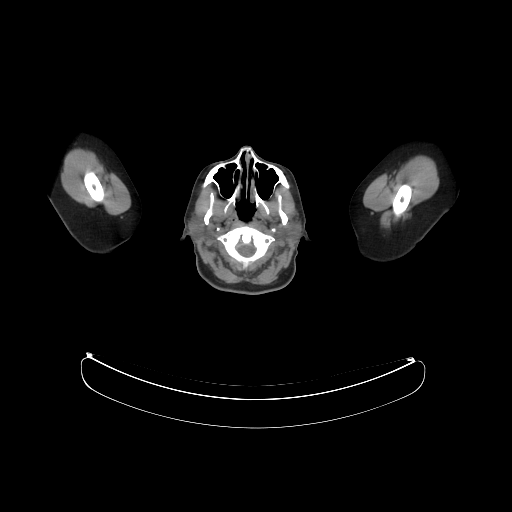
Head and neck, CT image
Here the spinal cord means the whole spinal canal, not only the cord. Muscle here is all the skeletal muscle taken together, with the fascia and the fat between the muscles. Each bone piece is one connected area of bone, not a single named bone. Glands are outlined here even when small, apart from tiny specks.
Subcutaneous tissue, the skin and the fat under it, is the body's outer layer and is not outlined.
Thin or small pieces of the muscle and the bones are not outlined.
The left arm is outlined by 418 137; 431 138; 457 152; 462 162; 461 183; 458 197; 451 209; 435 224; 423 239; 409 253; 403 257; 389 262; 374 262; 367 260; 360 255; 356 248; 355 235; 350 223; 348 213; 350 198; 354 190; 363 178; 390 150; 402 142. The parotid glands appear in 2 outlined pieces: piece 1: 194 212; 196 212; 198 214; 201 221; 204 224; 204 228; 203 229; 203 231; 201 233; 201 234; 198 235; 197 237; 194 237; 194 236; 192 235; 191 233; 190 233; 189 231; 189 228; 188 227; 188 221; 192 213; piece 2: 296 216; 299 216; 299 218; 300 219; 300 221; 301 222; 301 231; 300 232; 299 235; 295 240; 295 241; 292 241; 288 238; 288 237; 287 236; 287 234; 286 233; 286 230; 287 229; 287 226; 288 225; 289 222; 293 218; 294 218. The spinal cord is outlined by 239 242; 241 242; 243 244; 245 244; 246 245; 247 244; 252 243; 255 248; 255 251; 253 253; 253 254; 252 254; 250 256; 244 256; 243 255; 242 255; 240 253; 239 253; 238 252; 238 251; 236 249; 236 246; 237 245; 237 244. The head and neck is outlined by 244 145; 248 145; 256 155; 282 164; 293 173; 304 209; 305 228; 312 239; 311 242; 303 238; 299 240; 296 270; 292 280; 279 290; 256 295; 213 288; 197 271; 191 239; 187 236; 179 242; 186 206; 201 169; 212 162; 237 154; inner edges: 243 154; 246 199; 251 159; 253 159; 251 171; 258 179; 260 171; 257 164; 265 166; 266 170; 272 170; 277 177; 271 193; 264 199; 258 192; 256 179; 251 176; 249 201; 255 208; 249 220; 240 219; 236 209; 242 195, then 230 164; 235 164; 235 168; 232 171; 231 174; 231 181; 234 184; 235 183; 235 173; 237 171; 238 172; 238 177; 235 181; 235 184; 232 193; 228 197; 224 197; 221 193; 220 184; 216 180; 215 176; 218 173; 219 170; 225 169. The right arm is outlined by 72 130; 85 130; 91 132; 103 139; 114 150; 119 157; 141 199; 142 215; 139 225; 131 237; 120 245; 114 253; 111 254; 100 255; 89 252; 80 246; 73 239; 51 205; 40 182; 34 156; 35 150; 38 144. The bones appear in 6 outlined pieces: piece 1: 244 146; 283 171; 289 188; 278 184; 275 190; 281 195; 281 207; 288 217; 285 225; 278 213; 277 197; 272 193; 278 178; 272 169; 257 163; 258 178; 251 168; 254 159; 250 159; 246 198; 247 169; 243 153; 240 156; 241 195; 235 206; 231 204; 224 211; 226 198; 233 193; 239 177; 237 170; 232 181; 235 163; 215 174; 220 193; 213 183; 202 187; 212 167; 234 158; piece 2: 244 224; 253 227; 266 234; 272 235; 275 239; 274 241; 269 245; 265 254; 263 256; 251 262; 249 265; 244 269; 242 266; 242 264; 240 262; 237 261; 227 253; 224 245; 217 239; 217 237; 219 235; 221 235; 233 228; 239 227; inner edge: 239 242; 241 242; 243 244; 245 244; 246 245; 247 244; 252 243; 255 248; 255 251; 253 253; 253 254; 252 254; 250 256; 244 256; 243 255; 242 255; 240 253; 239 253; 238 252; 238 251; 236 249; 236 246; 237 245; 237 244; piece 3: 405 183; 406 184; 408 184; 411 187; 411 189; 412 190; 411 192; 411 197; 410 198; 409 203; 406 209; 404 211; 404 212; 399 217; 398 217; 394 215; 393 213; 393 211; 392 210; 392 199; 395 195; 398 189; 398 185; 404 184; piece 4: 87 171; 93 171; 95 173; 95 174; 99 179; 100 181; 100 183; 103 188; 103 190; 104 191; 104 197; 102 201; 100 202; 97 202; 93 200; 93 199; 90 196; 84 184; 83 177; 84 176; 84 174; piece 5: 252 176; 256 181; 255 182; 255 186; 259 196; 262 199; 266 201; 266 204; 268 207; 269 213; 266 213; 264 208; 260 205; 257 207; 255 207; 255 204; 253 202; 251 202; 250 201; 250 186; 251 185; 251 179; 252 178; piece 6: 211 192; 213 192; 214 193; 214 200; 213 201; 213 205; 212 206; 212 214; 209 218; 209 221; 208 222; 208 224; 206 225; 204 223; 203 218; 210 204; 210 193. The muscle appears in 4 outlined pieces: piece 1: 204 173; 206 174; 201 187; 204 189; 213 184; 225 198; 223 211; 225 213; 232 205; 240 220; 249 221; 255 209; 260 206; 269 214; 266 200; 272 194; 275 195; 280 223; 283 226; 287 224; 286 236; 295 242; 290 263; 277 280; 265 285; 248 282; 226 283; 204 264; 195 238; 209 224; 215 200; 215 193; 209 193; 209 204; 203 215; 203 222; 199 214; 193 212; 198 185; inner edge: 244 224; 253 227; 266 234; 272 235; 275 239; 274 241; 269 245; 265 254; 263 256; 251 262; 249 265; 244 269; 242 266; 242 264; 240 262; 237 261; 227 253; 224 245; 217 239; 217 237; 219 235; 221 235; 233 228; 239 227; piece 2: 413 154; 426 155; 435 161; 440 179; 438 189; 430 198; 421 202; 415 207; 413 217; 410 222; 407 223; 402 229; 396 231; 393 236; 385 237; 381 234; 377 225; 366 211; 362 203; 363 194; 368 185; 376 177; 389 170; 400 160; inner edge: 405 183; 406 184; 408 184; 411 187; 411 189; 412 190; 411 192; 411 197; 410 198; 409 203; 406 209; 404 211; 404 212; 399 217; 398 217; 394 215; 393 213; 393 211; 392 210; 392 199; 395 195; 398 189; 398 185; 404 184; piece 3: 74 147; 82 147; 92 150; 98 155; 111 170; 120 178; 125 184; 130 194; 131 206; 128 210; 119 216; 118 215; 117 216; 111 216; 104 212; 98 211; 94 208; 90 208; 75 201; 64 191; 60 181; 61 166; 66 153, around a hole outlined by 87 171; 93 171; 95 173; 95 174; 99 179; 100 181; 100 183; 103 188; 103 190; 104 191; 104 197; 102 201; 100 202; 97 202; 93 200; 93 199; 90 196; 84 184; 83 177; 84 176; 84 174; piece 4: 285 174; 287 174; 291 181; 294 190; 294 202; 295 203; 295 207; 299 214; 299 215; 296 215; 293 217; 288 223; 289 217; 283 210; 282 207; 282 195; 276 190; 278 185; 281 185; 286 189; 289 189; 290 188; 289 181; 287 179.